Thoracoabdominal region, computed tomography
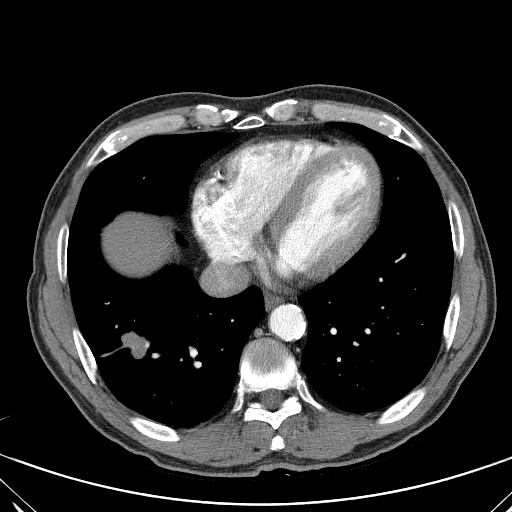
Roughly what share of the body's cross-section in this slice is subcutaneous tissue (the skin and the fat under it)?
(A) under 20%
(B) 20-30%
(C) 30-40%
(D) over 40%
Answer: (A) under 20%
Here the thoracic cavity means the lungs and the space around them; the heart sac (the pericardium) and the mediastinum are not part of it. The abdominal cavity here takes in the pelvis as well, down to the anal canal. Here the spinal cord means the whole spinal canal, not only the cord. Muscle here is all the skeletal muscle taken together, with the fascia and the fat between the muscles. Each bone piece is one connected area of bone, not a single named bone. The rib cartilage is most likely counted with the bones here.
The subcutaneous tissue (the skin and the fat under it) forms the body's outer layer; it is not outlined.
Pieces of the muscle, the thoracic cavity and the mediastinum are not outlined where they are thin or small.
The abdominal cavity is outlined by (126, 210) (149, 212) (153, 214) (173, 215) (173, 219) (179, 232) (177, 232) (175, 234) (175, 239) (177, 243) (179, 244) (180, 253) (179, 265) (175, 264) (168, 265) (153, 275) (141, 279) (124, 277) (110, 268) (104, 260) (100, 250) (100, 230) (108, 224) (117, 214). The pericardium is outlined by (288, 132) (334, 134) (359, 142) (375, 158) (383, 182) (379, 218) (374, 231) (365, 243) (343, 267) (326, 281) (309, 289) (294, 292) (266, 287) (251, 279) (235, 264) (218, 263) (203, 248) (195, 236) (189, 218) (190, 194) (192, 189) (214, 157) (241, 140) (260, 134). The muscle appears in 3 outlined pieces: piece 1: (189, 105) (194, 105) (191, 121) (203, 128) (181, 130) (188, 127) (188, 118) (172, 113) (110, 132) (86, 161) (86, 168) (94, 167) (80, 188) (69, 224) (64, 221) (58, 229) (58, 277) (68, 283) (77, 323) (71, 328) (72, 339) (89, 380) (96, 385) (99, 374) (122, 404) (141, 415) (130, 415) (129, 423) (163, 442) (179, 441) (177, 429) (206, 422) (226, 406) (230, 415) (236, 413) (247, 396) (242, 420) (262, 421) (274, 430) (302, 412) (300, 399) (321, 412) (328, 410) (321, 401) (346, 413) (381, 411) (375, 420) (378, 425) (408, 415) (427, 392) (425, 385) (416, 387) (434, 363) (442, 340) (448, 351) (454, 339) (460, 295) (457, 291) (451, 295) (451, 288) (454, 258) (459, 260) (464, 252) (464, 229) (456, 202) (450, 198) (446, 206) (418, 153) (424, 147) (389, 113) (429, 146) (461, 196) (487, 285) (487, 315) (478, 341) (443, 394) (415, 423) (327, 459) (277, 451) (285, 442) (276, 433) (269, 445) (273, 451) (260, 459) (214, 466) (141, 444) (98, 413) (65, 375) (38, 327) (38, 286) (45, 273) (43, 243) (49, 225) (76, 170) (104, 135) (134, 118); piece 2: (298, 98) (329, 99) (353, 103) (363, 106) (369, 106) (384, 111) (374, 111) (360, 109) (355, 107) (346, 107) (327, 102) (315, 102) (310, 106) (309, 113) (314, 119) (318, 121) (304, 120) (302, 118) (301, 119) (291, 119) (296, 116) (298, 111) (297, 108) (299, 103); piece 3: (263, 108) (263, 109) (262, 110) (262, 112) (263, 113) (263, 114) (264, 115) (265, 115) (269, 119) (270, 119) (272, 121) (273, 121) (271, 121) (270, 122) (268, 122) (267, 123) (267, 119) (261, 114) (259, 114) (258, 113) (253, 113) (255, 113) (256, 112) (259, 111). The mediastinum is outlined by (302, 119) (329, 122) (365, 146) (326, 132) (260, 133) (241, 139) (207, 164) (205, 169) (191, 189) (189, 194) (188, 210) (194, 236) (218, 264) (235, 265) (251, 280) (272, 290) (294, 293) (311, 289) (298, 299) (307, 320) (299, 367) (294, 355) (272, 338) (246, 344) (265, 315) (263, 295) (256, 285) (230, 296) (212, 296) (187, 267) (180, 265) (180, 246) (187, 248) (188, 243) (174, 216) (186, 207) (189, 186) (198, 165) (238, 137) (236, 132) (178, 131) (225, 124) (245, 130). The bones appear in 13 outlined pieces: piece 1: (266, 338) (283, 345) (293, 355) (310, 392) (326, 407) (326, 411) (318, 410) (300, 398) (301, 412) (288, 416) (274, 429) (262, 420) (243, 420) (243, 413) (250, 399) (247, 395) (243, 407) (232, 414) (229, 413) (235, 397) (243, 349) (254, 340); inner edge: (268, 389) (276, 389) (277, 390) (279, 390) (283, 392) (284, 394) (284, 398) (281, 402) (280, 404) (280, 407) (279, 408) (277, 408) (273, 410) (266, 409) (263, 407) (263, 405) (260, 402) (259, 400) (259, 394) (261, 392) (265, 390) (267, 390); piece 2: (315, 103) (327, 103) (346, 108) (355, 108) (360, 110) (374, 112) (384, 112) (396, 119) (403, 125) (418, 140) (423, 147) (423, 150) (417, 151) (397, 140) (392, 139) (374, 129) (357, 122) (339, 120) (338, 121) (337, 120) (319, 121) (314, 118) (310, 113) (310, 108); piece 3: (172, 114) (181, 114) (185, 116) (188, 121) (187, 127) (171, 133) (156, 133) (155, 134) (143, 136) (135, 140) (113, 155) (104, 159) (95, 166) (86, 167) (86, 163) (94, 151) (105, 138) (113, 131) (123, 126) (133, 125) (140, 122); piece 4: (201, 103) (203, 104) (211, 104) (220, 109) (228, 108) (237, 110) (239, 113) (239, 116) (232, 121) (227, 123) (223, 123) (218, 126) (208, 126) (207, 127) (201, 126) (197, 127) (196, 124) (192, 121) (192, 117) (190, 114) (194, 109) (194, 106) (196, 104) (200, 104); piece 5: (421, 386) (425, 386) (426, 387) (426, 392) (423, 398) (419, 402) (419, 403) (408, 414) (407, 414) (404, 417) (390, 423) (386, 423) (385, 424) (378, 424) (376, 422) (377, 418) (380, 415) (382, 411) (404, 397) (413, 389) (417, 388) (418, 387) (420, 387); piece 6: (130, 416) (141, 416) (147, 419) (149, 419) (152, 421) (154, 421) (155, 422) (169, 426) (177, 430) (180, 436) (180, 438) (179, 440) (177, 441) (163, 441) (162, 440) (159, 440) (158, 439) (155, 439) (154, 438) (149, 437) (141, 433) (130, 423) (129, 421) (129, 417); piece 7: (74, 326) (78, 327) (97, 365) (98, 376) (96, 378) (96, 380) (97, 381) (97, 383) (96, 384) (94, 384) (90, 380) (81, 363) (80, 358) (77, 352) (77, 349) (75, 346) (75, 343) (74, 342) (74, 340) (73, 339) (73, 335) (72, 334) (72, 328); piece 8: (450, 199) (452, 199) (455, 202) (458, 208) (460, 214) (460, 217) (461, 218) (462, 228) (463, 229) (463, 252) (461, 257) (459, 259) (454, 257) (454, 252) (453, 251) (453, 243) (452, 242) (451, 228) (450, 227) (449, 216) (447, 210) (447, 203); piece 9: (455, 292) (457, 292) (459, 295) (459, 315) (457, 319) (457, 323) (456, 324) (455, 332) (453, 336) (452, 342) (449, 349) (446, 350) (445, 348) (445, 343) (442, 336) (442, 332) (443, 331) (444, 320) (448, 308) (448, 305) (450, 301) (450, 298) (453, 293); piece 10: (288, 98) (296, 98) (298, 100) (298, 103) (296, 106) (297, 111) (294, 117) (287, 120) (283, 120) (282, 121) (276, 121) (275, 120) (272, 120) (265, 114) (264, 114) (263, 110) (265, 107) (269, 106) (271, 104) (277, 101) (283, 100) (284, 99) (287, 99); piece 11: (64, 222) (67, 222) (69, 225) (69, 233) (68, 234) (68, 239) (67, 240) (67, 280) (64, 283) (62, 283) (59, 277) (59, 273) (58, 272) (58, 268) (57, 267) (57, 238) (58, 237) (58, 233) (59, 232) (59, 229) (61, 225); piece 12: (252, 114) (258, 114) (259, 115) (261, 115) (264, 118) (265, 118) (266, 119) (266, 123) (265, 124) (261, 126) (259, 126) (258, 127) (254, 127) (253, 128) (246, 128) (245, 129) (236, 129) (232, 127) (232, 125) (237, 120) (241, 118) (243, 118) (246, 116) (251, 115); piece 13: (276, 434) (278, 434) (279, 435) (280, 435) (282, 437) (282, 438) (283, 439) (283, 441) (284, 442) (284, 447) (282, 449) (279, 449) (278, 450) (271, 450) (270, 449) (270, 445) (271, 444) (271, 440) (272, 439) (272, 438). The torso is outlined by (304, 84) (350, 86) (391, 100) (413, 116) (461, 170) (493, 264) (497, 312) (491, 335) (434, 423) (375, 457) (302, 472) (262, 470) (255, 477) (206, 478) (166, 471) (97, 431) (36, 349) (26, 309) (26, 288) (45, 199) (90, 132) (134, 101) (182, 91) (253, 96). The spinal cord is outlined by (268, 389) (276, 389) (277, 390) (279, 390) (283, 392) (284, 394) (284, 398) (281, 402) (280, 404) (280, 407) (279, 408) (277, 408) (273, 410) (266, 409) (263, 407) (263, 405) (260, 402) (259, 400) (259, 394) (261, 392) (265, 390) (267, 390). The thoracic cavity appears in 2 outlined pieces: piece 1: (201, 131) (237, 137) (197, 165) (179, 215) (126, 209) (99, 230) (103, 260) (124, 278) (149, 278) (175, 265) (212, 297) (250, 286) (261, 292) (264, 315) (242, 349) (231, 405) (176, 429) (122, 403) (100, 375) (72, 304) (68, 240) (81, 188) (97, 165) (146, 136); piece 2: (331, 121) (363, 125) (417, 152) (439, 187) (452, 243) (450, 297) (433, 363) (404, 396) (383, 410) (365, 413) (346, 412) (318, 400) (299, 369) (308, 335) (308, 320) (299, 299) (343, 268) (366, 243) (380, 223) (385, 191) (384, 176) (374, 155) (362, 141) (329, 125).